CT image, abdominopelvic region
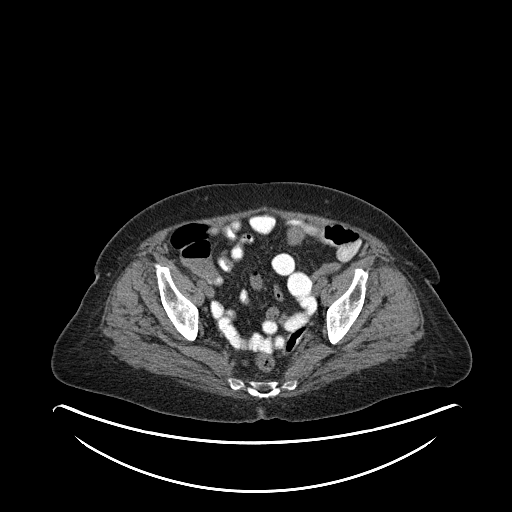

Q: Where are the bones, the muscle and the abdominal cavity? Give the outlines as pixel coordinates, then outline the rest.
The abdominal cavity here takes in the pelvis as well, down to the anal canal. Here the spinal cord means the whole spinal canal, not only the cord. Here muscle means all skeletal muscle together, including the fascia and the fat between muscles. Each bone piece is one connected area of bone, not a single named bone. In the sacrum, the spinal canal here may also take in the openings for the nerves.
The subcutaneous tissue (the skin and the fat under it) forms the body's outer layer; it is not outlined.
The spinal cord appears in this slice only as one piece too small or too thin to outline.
A: {"bones":[[[154,263],[158,263],[162,266],[167,266],[169,268],[172,280],[178,290],[197,307],[199,314],[198,333],[196,338],[193,341],[190,341],[186,339],[175,328],[174,325],[168,317],[161,303],[159,295],[159,290],[157,285],[157,279],[155,273]],[[356,268],[362,268],[365,270],[368,270],[368,279],[366,283],[366,292],[365,293],[364,302],[359,314],[347,332],[335,344],[332,344],[330,343],[327,336],[327,330],[326,329],[326,312],[328,307],[349,287],[352,281],[352,278],[354,274],[354,270]],[[229,377],[240,378],[245,383],[250,380],[276,380],[281,384],[287,380],[296,380],[297,381],[297,385],[292,390],[288,390],[282,388],[279,393],[273,397],[259,398],[256,396],[251,395],[245,388],[240,388],[236,390],[232,389],[227,381],[227,379]]],"muscle":[[[264,205],[348,222],[383,241],[419,300],[424,334],[416,350],[317,389],[269,399],[282,389],[292,391],[297,387],[296,379],[280,382],[301,352],[324,340],[324,325],[329,343],[335,345],[355,322],[366,298],[368,269],[356,267],[348,287],[328,306],[322,304],[321,296],[335,276],[367,252],[368,244],[349,225],[300,221],[258,211],[224,225],[187,221],[165,236],[161,249],[200,290],[204,298],[200,306],[179,290],[167,265],[154,262],[153,267],[160,303],[174,328],[193,342],[199,333],[199,321],[202,337],[236,372],[237,377],[226,379],[229,387],[234,391],[245,389],[259,399],[197,389],[167,376],[136,369],[109,351],[99,327],[105,302],[140,242],[183,221]]],"abdominal_cavity":[[[258,212],[300,222],[349,226],[357,230],[367,244],[366,252],[322,289],[320,301],[327,307],[323,340],[301,351],[279,382],[276,379],[245,382],[237,376],[231,363],[203,337],[198,308],[205,298],[201,290],[162,249],[168,233],[180,224],[224,226]]],"torso":[[[270,181],[308,182],[345,191],[386,212],[409,234],[437,268],[440,281],[434,289],[470,346],[472,365],[464,379],[449,387],[412,391],[321,419],[226,423],[160,413],[55,378],[50,366],[53,345],[94,280],[98,255],[122,225],[152,203],[196,186]]]}